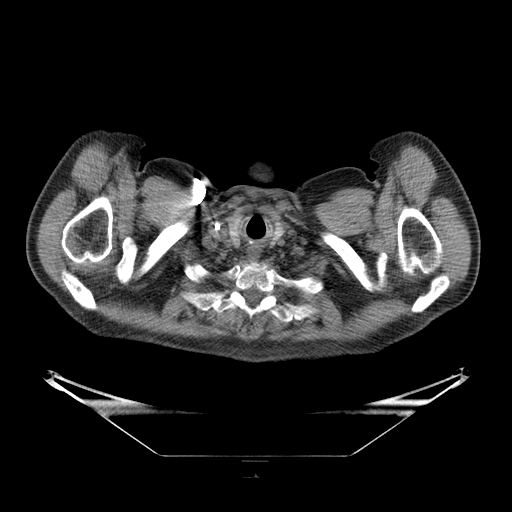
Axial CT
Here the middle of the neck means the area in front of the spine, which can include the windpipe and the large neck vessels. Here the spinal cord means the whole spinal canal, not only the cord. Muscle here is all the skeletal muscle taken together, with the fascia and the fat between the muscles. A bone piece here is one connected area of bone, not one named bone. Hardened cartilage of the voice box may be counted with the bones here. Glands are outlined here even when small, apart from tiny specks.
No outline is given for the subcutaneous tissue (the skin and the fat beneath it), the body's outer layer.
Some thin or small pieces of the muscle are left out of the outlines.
{"torso":[[[160,156],[190,163],[219,189],[245,183],[292,190],[324,171],[341,166],[359,167],[372,180],[367,237],[370,252],[393,273],[465,300],[421,331],[387,349],[315,361],[249,363],[97,336],[72,319],[32,273],[83,272],[101,267],[130,231],[142,164]]],"bones":[{"outer":[[251,261],[263,262],[287,278],[321,279],[324,287],[314,294],[303,296],[284,287],[278,292],[279,303],[309,303],[317,312],[284,322],[264,310],[250,319],[238,307],[218,313],[212,308],[201,310],[185,300],[183,291],[223,290],[230,282],[219,274]],"hole":[[253,287],[254,288],[259,290],[262,293],[263,293],[263,295],[260,299],[259,302],[257,304],[256,304],[254,306],[250,306],[247,303],[247,302],[246,301],[246,299],[243,294],[243,292],[245,290],[246,290],[247,289],[249,289],[250,288],[252,288]]},[[406,205],[418,208],[435,231],[443,249],[443,259],[437,272],[446,274],[450,282],[447,290],[431,305],[419,313],[413,313],[410,309],[417,296],[428,288],[432,276],[426,275],[418,269],[415,275],[410,275],[404,272],[397,263],[397,220],[402,209]],[[100,195],[105,195],[107,196],[112,206],[112,213],[113,214],[113,220],[112,221],[112,248],[109,254],[99,262],[88,262],[85,264],[84,263],[76,263],[66,255],[62,248],[61,245],[61,238],[62,237],[63,228],[66,223],[91,200]],[[179,220],[184,220],[189,225],[189,229],[185,234],[142,276],[136,278],[134,273],[126,284],[121,283],[116,276],[114,267],[122,256],[121,245],[124,238],[130,236],[137,246],[138,250],[135,260],[136,269],[144,259],[148,246],[158,234],[165,227]],[[323,231],[332,232],[348,242],[366,264],[368,273],[373,280],[375,280],[377,277],[375,268],[375,260],[381,251],[385,252],[388,256],[385,271],[387,276],[385,286],[380,291],[375,290],[371,292],[367,290],[359,282],[337,253],[322,239],[320,234]],[[63,268],[65,268],[69,271],[75,274],[81,280],[81,281],[90,289],[94,297],[94,299],[96,302],[96,304],[97,305],[97,309],[96,310],[89,310],[88,309],[85,309],[83,307],[79,305],[74,300],[70,292],[64,284],[61,278],[61,271]],[[185,263],[189,263],[190,264],[192,264],[193,263],[198,263],[206,269],[209,270],[212,273],[213,276],[210,278],[208,278],[206,279],[203,282],[201,283],[196,283],[192,281],[185,274],[183,270],[183,268],[184,267],[184,265]]],"thyroid_glands":[[[238,215],[241,216],[241,218],[242,219],[241,220],[242,221],[241,222],[241,225],[240,226],[240,234],[239,235],[239,239],[240,240],[239,241],[239,245],[236,247],[233,245],[230,239],[230,237],[228,233],[227,221],[229,218],[233,216],[237,216]],[[276,222],[279,222],[281,223],[281,224],[284,228],[284,233],[283,235],[279,239],[278,239],[277,241],[276,241],[274,243],[274,244],[272,245],[271,244],[271,240],[272,239],[272,234],[274,231],[274,228],[275,227],[275,224]]],"middle_of_the_neck":[[[253,210],[260,210],[275,221],[270,240],[272,246],[284,235],[285,228],[289,230],[291,235],[287,238],[285,245],[281,249],[260,259],[250,261],[230,253],[226,249],[222,244],[219,226],[226,222],[229,239],[236,248],[240,245],[241,240],[242,216]]],"left_arm":[[[405,129],[421,132],[433,140],[457,173],[473,206],[480,230],[480,266],[476,283],[470,295],[466,299],[429,288],[393,272],[382,264],[369,249],[368,237],[371,232],[372,220],[374,178],[373,172],[378,165],[375,161],[369,158],[368,150],[379,139]]],"muscle":[{"outer":[[96,138],[114,150],[126,144],[138,180],[172,178],[211,210],[245,192],[281,194],[312,225],[313,203],[344,187],[378,191],[401,142],[417,143],[468,226],[468,273],[438,299],[451,282],[438,272],[443,244],[425,214],[406,204],[396,220],[396,263],[410,276],[431,276],[409,309],[419,314],[368,339],[247,343],[120,325],[89,311],[98,309],[91,289],[67,268],[60,278],[71,297],[63,291],[36,247],[44,211]],"holes":[[[253,210],[267,214],[291,233],[281,249],[257,261],[267,264],[287,278],[314,276],[324,283],[322,290],[306,296],[292,288],[279,288],[279,303],[309,303],[318,309],[302,320],[284,322],[268,310],[257,313],[250,319],[238,307],[228,308],[220,313],[212,308],[201,310],[181,295],[183,291],[223,290],[230,282],[222,279],[219,274],[235,264],[242,265],[250,261],[226,249],[222,244],[219,226],[233,216],[242,216]],[[100,195],[105,195],[107,196],[112,206],[112,213],[113,214],[113,220],[112,221],[112,248],[109,254],[99,262],[88,262],[85,264],[84,263],[76,263],[66,255],[62,248],[61,245],[61,238],[62,237],[63,228],[66,223],[91,200]],[[179,220],[184,220],[189,225],[189,229],[185,234],[142,276],[136,278],[134,273],[126,284],[121,283],[116,276],[114,267],[122,256],[121,245],[124,238],[130,236],[137,246],[138,250],[135,260],[136,269],[144,259],[148,246],[158,234],[165,227]],[[323,231],[332,232],[348,242],[366,264],[368,273],[373,280],[375,280],[377,277],[375,268],[375,260],[381,251],[385,252],[388,256],[385,271],[387,276],[385,286],[380,291],[375,290],[371,292],[367,290],[359,282],[337,253],[322,239],[320,234]],[[185,263],[189,263],[190,264],[192,264],[193,263],[198,263],[206,269],[209,270],[212,273],[213,276],[210,278],[208,278],[206,279],[203,282],[201,283],[196,283],[192,281],[185,274],[183,270],[183,268],[184,267],[184,265]]]}],"spinal_cord":[[[253,287],[254,288],[259,290],[262,293],[263,293],[263,295],[260,299],[259,302],[257,304],[256,304],[254,306],[250,306],[247,303],[247,302],[246,301],[246,299],[243,294],[243,292],[245,290],[246,290],[247,289],[249,289],[250,288],[252,288]]],"right_arm":[[[100,126],[107,127],[113,130],[122,130],[136,133],[144,137],[147,141],[146,145],[141,150],[141,172],[129,231],[109,258],[101,266],[96,269],[83,271],[31,272],[25,253],[25,234],[28,218],[34,202],[50,173],[72,142],[83,132],[91,128]]],"head_and_neck":[[[255,158],[264,158],[266,160],[273,163],[277,167],[277,169],[279,172],[279,176],[276,181],[275,181],[271,184],[260,184],[259,183],[254,181],[252,179],[249,178],[247,176],[246,176],[246,175],[244,173],[244,168],[250,161],[251,161]]]}